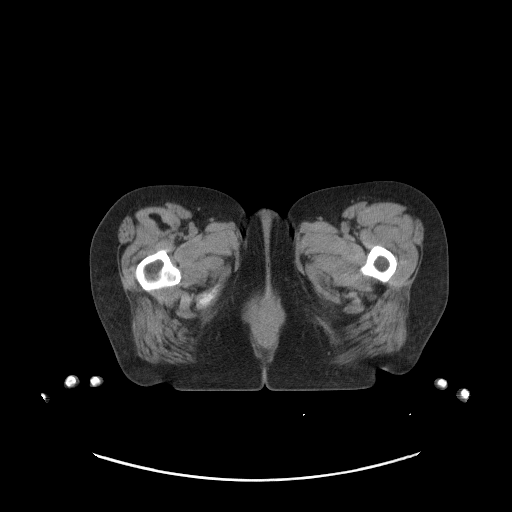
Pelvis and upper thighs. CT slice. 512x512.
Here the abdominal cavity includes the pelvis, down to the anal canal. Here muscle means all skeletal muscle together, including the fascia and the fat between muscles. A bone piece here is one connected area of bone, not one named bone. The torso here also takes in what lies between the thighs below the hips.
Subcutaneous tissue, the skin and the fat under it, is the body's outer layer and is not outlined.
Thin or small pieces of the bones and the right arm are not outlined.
The abdominal cavity is outlined by (258, 300) (275, 300) (277, 306) (277, 309) (279, 312) (279, 321) (277, 323) (277, 325) (275, 328) (273, 339) (271, 343) (267, 345) (262, 345) (259, 341) (256, 341) (256, 337) (254, 335) (254, 326) (252, 322) (252, 319) (250, 317) (250, 310) (251, 309) (251, 306). The left leg is outlined by (370, 180) (396, 180) (410, 184) (425, 193) (436, 205) (444, 224) (448, 243) (449, 293) (444, 312) (417, 363) (407, 373) (393, 374) (379, 369) (376, 374) (375, 385) (365, 389) (272, 391) (266, 387) (265, 320) (290, 262) (291, 248) (287, 212) (296, 200) (312, 191). The torso is outlined by (261, 206) (270, 207) (279, 212) (283, 216) (286, 214) (287, 230) (288, 231) (289, 247) (290, 248) (288, 265) (265, 319) (250, 307) (248, 302) (247, 291) (246, 290) (246, 278) (245, 277) (245, 261) (243, 252) (243, 224) (245, 221) (246, 212) (250, 213) (254, 209). The right arm appears in 2 outlined pieces: piece 1: (73, 375) (75, 375) (76, 376) (77, 376) (78, 377) (78, 378) (79, 379) (79, 385) (77, 387) (76, 387) (75, 388) (66, 388) (64, 386) (64, 383) (65, 382) (65, 380) (66, 379) (66, 378) (68, 376) (72, 376); piece 2: (94, 376) (95, 376) (96, 377) (97, 376) (100, 376) (101, 377) (102, 377) (102, 378) (103, 379) (103, 383) (101, 385) (99, 385) (98, 386) (91, 386) (90, 385) (90, 384) (89, 383) (90, 382) (90, 380) (91, 379) (91, 378) (92, 377) (93, 377). The bones appear in 4 outlined pieces: piece 1: (160, 249) (167, 249) (167, 254) (169, 256) (171, 262) (180, 270) (181, 278) (179, 283) (173, 286) (163, 287) (160, 289) (157, 289) (151, 292) (148, 292) (144, 290) (138, 283) (135, 277) (135, 269) (137, 264) (143, 258) (144, 258) (147, 255) (154, 253); piece 2: (374, 245) (381, 245) (388, 249) (392, 252) (392, 253) (396, 257) (396, 259) (397, 260) (397, 264) (396, 265) (395, 271) (388, 281) (386, 282) (382, 282) (371, 276) (366, 276) (362, 274) (359, 270) (360, 267) (365, 263) (366, 258) (367, 257) (367, 254) (371, 247); piece 3: (213, 288) (214, 288) (214, 289) (215, 290) (214, 291) (214, 297) (213, 298) (213, 299) (212, 299) (211, 300) (211, 301) (207, 305) (206, 305) (203, 307) (198, 307) (197, 306) (197, 300) (202, 295) (202, 294) (203, 293) (204, 293) (205, 292) (208, 292); piece 4: (68, 376) (73, 376) (75, 378) (75, 383) (74, 384) (73, 384) (72, 385) (70, 385) (69, 386) (68, 385) (67, 385) (65, 383) (65, 380) (66, 379) (66, 378). The right leg is outlined by (153, 184) (185, 184) (214, 188) (233, 197) (246, 210) (242, 224) (246, 297) (249, 307) (264, 319) (265, 387) (260, 390) (180, 391) (167, 383) (149, 386) (138, 385) (129, 380) (122, 372) (92, 298) (89, 278) (89, 248) (99, 222) (111, 205) (124, 193) (141, 186). The muscle appears in 3 outlined pieces: piece 1: (366, 195) (384, 195) (409, 205) (417, 212) (424, 225) (421, 262) (410, 290) (407, 338) (403, 347) (394, 355) (371, 358) (358, 363) (334, 365) (331, 363) (333, 349) (329, 337) (313, 318) (310, 301) (294, 267) (294, 239) (302, 220) (326, 215) (335, 221) (347, 206), around a hole outlined by (374, 245) (381, 245) (388, 249) (392, 252) (392, 253) (396, 257) (396, 259) (397, 260) (397, 264) (396, 265) (395, 271) (388, 281) (386, 282) (382, 282) (371, 276) (366, 276) (362, 274) (359, 270) (360, 267) (365, 263) (366, 258) (367, 257) (367, 254) (371, 247); piece 2: (161, 201) (179, 202) (200, 218) (229, 220) (235, 224) (243, 239) (240, 267) (226, 284) (218, 301) (216, 313) (201, 335) (202, 356) (193, 364) (185, 363) (168, 366) (150, 363) (138, 357) (132, 340) (130, 306) (118, 274) (115, 237) (123, 215) (130, 209) (141, 204); inner edges: (160, 249) (167, 249) (167, 254) (169, 256) (171, 262) (180, 270) (181, 278) (179, 283) (173, 286) (163, 287) (160, 289) (157, 289) (151, 292) (148, 292) (144, 290) (138, 283) (135, 277) (135, 269) (137, 264) (143, 258) (144, 258) (147, 255) (154, 253), then (213, 288) (214, 288) (214, 289) (215, 290) (214, 291) (214, 297) (213, 298) (213, 299) (212, 299) (211, 300) (211, 301) (207, 305) (206, 305) (203, 307) (198, 307) (197, 306) (197, 300) (202, 295) (202, 294) (203, 293) (204, 293) (205, 292) (208, 292); piece 3: (275, 294) (280, 298) (281, 304) (286, 313) (286, 317) (285, 322) (281, 328) (278, 345) (274, 352) (272, 359) (266, 360) (261, 357) (257, 357) (254, 353) (251, 341) (248, 337) (247, 328) (242, 322) (241, 309) (243, 304) (252, 297) (258, 295) (272, 295) (273, 296), around a hole outlined by (258, 300) (275, 300) (277, 306) (277, 309) (279, 312) (279, 321) (277, 323) (277, 325) (275, 328) (273, 339) (271, 343) (267, 345) (262, 345) (259, 341) (256, 341) (256, 337) (254, 335) (254, 326) (252, 322) (252, 319) (250, 317) (250, 310) (251, 309) (251, 306). The left arm appears in 2 outlined pieces: piece 1: (459, 388) (463, 388) (464, 389) (465, 389) (468, 392) (468, 393) (467, 394) (467, 395) (465, 398) (465, 401) (464, 401) (463, 402) (462, 402) (461, 401) (460, 401) (458, 399) (457, 399) (457, 398) (455, 395) (455, 394) (456, 393) (456, 391); piece 2: (436, 378) (439, 378) (439, 379) (440, 380) (443, 380) (444, 381) (445, 381) (445, 385) (446, 386) (446, 387) (443, 390) (439, 390) (438, 389) (437, 389) (433, 385) (433, 381).